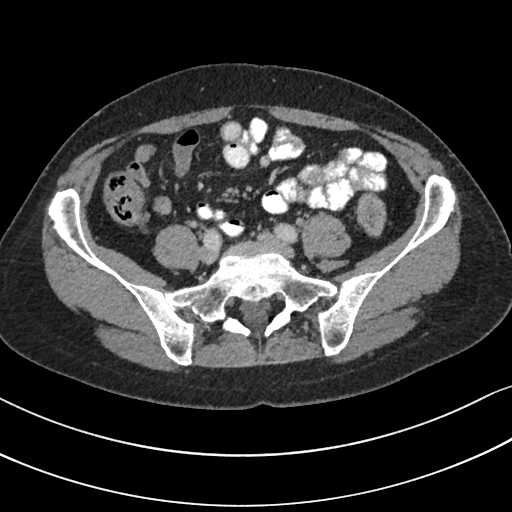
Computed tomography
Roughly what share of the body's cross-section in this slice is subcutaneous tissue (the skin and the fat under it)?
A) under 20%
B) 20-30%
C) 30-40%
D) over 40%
Answer: C) 30-40%
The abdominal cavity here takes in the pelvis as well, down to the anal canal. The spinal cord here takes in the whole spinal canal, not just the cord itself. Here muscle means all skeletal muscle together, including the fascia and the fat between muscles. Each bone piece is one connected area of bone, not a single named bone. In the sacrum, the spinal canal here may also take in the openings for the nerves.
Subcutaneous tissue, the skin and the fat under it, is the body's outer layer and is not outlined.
The muscle appears in 3 outlined pieces: piece 1: [[255,103],[307,109],[377,126],[425,147],[443,164],[459,197],[460,261],[454,275],[438,292],[425,298],[423,317],[413,329],[371,354],[343,363],[331,363],[323,357],[247,367],[188,366],[193,361],[195,323],[180,316],[177,308],[188,308],[205,324],[220,321],[224,331],[261,342],[288,324],[294,312],[306,312],[321,298],[336,295],[316,314],[316,320],[323,355],[337,355],[347,345],[359,309],[376,282],[411,250],[440,231],[455,209],[456,193],[450,179],[430,173],[423,184],[421,218],[404,247],[380,269],[352,275],[337,284],[329,278],[353,268],[404,233],[414,220],[418,192],[395,156],[363,131],[303,125],[279,119],[266,109],[238,107],[217,121],[171,133],[139,133],[101,162],[86,206],[95,242],[129,257],[161,277],[172,290],[134,283],[93,251],[82,227],[80,191],[76,187],[58,189],[47,206],[51,227],[58,237],[135,297],[167,357],[184,367],[177,372],[163,371],[119,357],[96,339],[94,320],[66,306],[48,283],[41,230],[44,209],[58,177],[76,157],[104,139],[170,116]]; piece 2: [[321,213],[329,214],[338,218],[345,226],[345,231],[351,239],[350,246],[339,257],[340,259],[347,259],[348,263],[329,271],[322,270],[316,265],[314,261],[304,253],[302,247],[302,237],[301,236],[302,233],[301,231],[304,224],[310,217]]; piece 3: [[172,224],[179,224],[185,226],[189,229],[194,235],[196,241],[199,246],[199,259],[196,267],[192,271],[186,268],[180,268],[177,269],[175,271],[173,271],[162,265],[157,260],[152,251],[152,249],[155,244],[156,236],[158,233],[162,229]]. The spinal cord is outlined by [[276,293],[280,293],[284,299],[283,307],[276,313],[272,319],[265,326],[261,333],[257,334],[253,333],[240,320],[234,316],[229,315],[227,313],[226,305],[229,299],[232,297],[238,298],[242,301],[246,301],[249,303],[257,303],[263,299],[270,298]]. The abdominal cavity is outlined by [[238,108],[266,110],[279,120],[303,126],[367,134],[394,156],[417,192],[413,220],[394,240],[328,278],[301,273],[272,245],[244,243],[230,246],[205,281],[174,289],[129,256],[97,243],[87,206],[102,162],[108,156],[139,134],[171,134],[217,122]] with a hole at [[321,213],[329,214],[338,218],[345,226],[345,231],[351,239],[350,246],[339,257],[340,259],[347,259],[348,263],[329,271],[322,270],[316,265],[314,261],[304,253],[302,247],[302,237],[301,236],[302,233],[301,231],[304,224],[310,217]]. The bones are outlined by [[433,173],[455,193],[447,222],[375,282],[330,356],[317,314],[336,294],[261,341],[177,307],[194,323],[192,361],[180,365],[136,297],[48,215],[58,190],[76,188],[92,251],[160,291],[205,282],[244,244],[272,246],[301,274],[339,285],[405,247]] with a hole at [[276,293],[280,293],[284,299],[283,307],[276,313],[272,319],[265,326],[261,333],[257,334],[253,333],[240,320],[234,316],[229,315],[227,313],[226,305],[229,299],[232,297],[238,298],[242,301],[246,301],[249,303],[257,303],[263,299],[270,298]]. The torso is outlined by [[221,62],[278,64],[335,74],[382,93],[430,127],[478,183],[511,242],[511,310],[501,323],[466,350],[366,393],[307,405],[261,404],[236,410],[180,407],[122,396],[46,369],[9,348],[0,339],[0,238],[48,161],[81,123],[108,102],[172,72]].